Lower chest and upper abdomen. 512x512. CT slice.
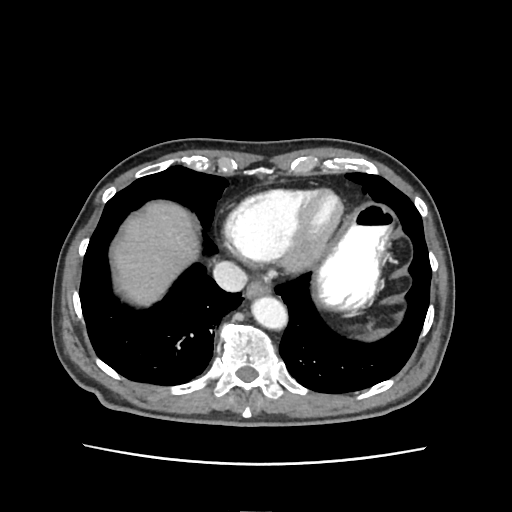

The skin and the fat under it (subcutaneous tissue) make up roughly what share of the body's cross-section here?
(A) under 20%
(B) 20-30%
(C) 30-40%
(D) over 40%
(A) under 20%
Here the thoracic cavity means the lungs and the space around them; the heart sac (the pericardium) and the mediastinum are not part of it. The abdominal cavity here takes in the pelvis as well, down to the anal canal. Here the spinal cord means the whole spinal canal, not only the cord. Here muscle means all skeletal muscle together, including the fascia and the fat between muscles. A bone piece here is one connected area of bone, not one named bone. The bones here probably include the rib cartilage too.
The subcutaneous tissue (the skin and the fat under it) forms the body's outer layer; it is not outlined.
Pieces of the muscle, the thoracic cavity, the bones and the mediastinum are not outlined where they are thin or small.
The muscle is outlined by 237 417; 242 417; 241 412; 246 405; 248 405; 251 408; 252 416; 256 416; 266 413; 281 413; 290 417; 321 417; 329 415; 338 415; 339 414; 358 412; 376 406; 384 405; 404 396; 420 385; 431 371; 440 345; 441 335; 444 329; 444 323; 445 322; 448 284; 447 283; 447 271; 445 265; 444 252; 441 246; 440 239; 437 234; 437 230; 433 220; 432 213; 421 194; 409 183; 383 163; 372 159; 366 155; 352 150; 337 147; 331 147; 330 146; 299 149; 270 157; 259 154; 233 151; 232 150; 188 149; 187 150; 172 152; 163 155; 154 160; 148 161; 133 167; 119 175; 112 182; 105 185; 98 192; 92 203; 92 205; 86 213; 83 221; 68 249; 65 258; 65 263; 62 276; 62 284; 61 285; 61 307; 60 308; 61 311; 60 315; 61 339; 62 340; 62 347; 65 354; 69 360; 75 364; 86 375; 93 378; 110 389; 121 398; 123 398; 139 407; 152 410; 158 410; 173 413; 181 413; 182 414; 220 413; 227 415; 236 415 with a hole at 273 399; 283 386; 302 395; 364 389; 355 397; 362 399; 394 383; 434 316; 429 286; 437 260; 424 239; 424 201; 411 201; 363 158; 313 155; 292 160; 286 175; 262 165; 233 175; 238 164; 225 156; 217 159; 218 172; 208 173; 205 156; 175 157; 138 170; 119 191; 107 188; 99 221; 79 244; 82 276; 72 295; 97 365; 115 379; 164 385; 172 394; 216 379; 216 396; 258 386. The pericardium is outlined by 271 278; 293 278; 309 268; 311 264; 323 253; 329 243; 329 240; 337 229; 337 226; 349 213; 347 199; 338 189; 317 180; 270 180; 267 182; 253 184; 229 199; 222 206; 216 219; 217 228; 215 232; 220 247; 226 253; 243 259. The torso is outlined by 239 427; 317 425; 380 416; 411 403; 434 380; 453 326; 453 262; 431 194; 421 180; 391 154; 365 143; 333 137; 179 138; 150 145; 124 158; 96 183; 85 200; 59 251; 52 286; 52 340; 66 372; 77 385; 113 410; 171 421. The bones appear in 11 outlined pieces: piece 1: 273 399; 283 393; 283 386; 302 395; 310 390; 289 374; 265 332; 252 325; 232 321; 221 324; 216 354; 204 374; 183 384; 164 387; 172 394; 183 394; 203 388; 210 380; 216 379; 216 396; 223 395; 234 386; 246 391; 258 386; inner edge: 247 382; 249 382; 253 379; 254 379; 257 376; 257 375; 258 374; 257 373; 257 372; 253 368; 252 368; 249 366; 244 366; 243 367; 241 367; 239 369; 238 369; 236 372; 236 374; 241 379; 242 379; 244 381; 246 381; piece 2: 293 175; 311 174; 311 172; 313 170; 317 168; 321 168; 322 166; 328 169; 337 171; 360 171; 378 175; 380 174; 380 172; 378 168; 373 163; 363 158; 334 157; 320 160; 316 156; 308 155; 297 157; 291 161; 289 164; 287 174; piece 3: 135 178; 138 178; 148 174; 162 171; 174 163; 181 163; 187 167; 189 167; 198 171; 206 171; 211 165; 211 163; 207 157; 202 155; 191 155; 190 156; 175 157; 174 158; 167 159; 157 163; 148 165; 138 170; 134 174; 134 177; piece 4: 356 399; 362 399; 366 397; 369 397; 372 395; 374 395; 382 391; 384 391; 386 389; 389 388; 394 383; 397 377; 396 378; 392 377; 373 385; 368 389; 365 390; 363 392; 357 395; 355 397; piece 5: 227 174; 232 174; 232 173; 238 168; 238 164; 234 159; 232 158; 229 158; 225 156; 222 156; 217 159; 217 161; 216 162; 216 166; 214 167; 214 168; 215 168; 218 172; 221 172; 222 173; 226 173; piece 6: 419 339; 423 337; 427 333; 433 321; 433 317; 434 316; 434 306; 432 303; 430 303; 428 306; 428 309; 427 310; 427 312; 425 316; 425 319; 424 320; 424 323; 422 327; 422 330; 418 338; piece 7: 119 380; 120 379; 123 379; 124 377; 121 376; 115 370; 114 370; 111 367; 110 367; 107 364; 102 361; 97 356; 95 356; 94 357; 94 360; 95 362; 104 372; 105 372; 108 375; 111 376; 113 378; 115 379; 118 379; piece 8: 247 175; 253 175; 254 174; 271 174; 273 173; 274 171; 274 168; 273 167; 266 167; 262 165; 261 166; 258 166; 257 167; 254 167; 253 168; 249 168; 248 169; 245 169; 243 171; 243 173; piece 9: 84 325; 85 324; 85 322; 82 315; 82 311; 81 310; 81 304; 80 303; 80 300; 79 299; 79 294; 78 293; 78 290; 74 290; 73 291; 73 294; 72 295; 72 299; 73 300; 73 305; 74 306; 74 309; 78 318; piece 10: 423 218; 424 217; 425 217; 427 215; 427 207; 426 206; 426 205; 425 204; 424 201; 419 196; 416 195; 414 197; 414 198; 413 199; 413 202; 414 203; 414 204; 415 205; 416 208; 418 210; 419 213; piece 11: 104 204; 117 191; 117 190; 116 189; 116 187; 115 186; 114 186; 113 185; 112 186; 110 186; 108 188; 107 188; 104 191; 104 192; 103 193; 103 194; 102 195; 102 197; 101 198; 101 201. The thoracic cavity appears in 2 outlined pieces: piece 1: 158 385; 208 369; 213 330; 242 300; 239 292; 222 290; 200 263; 145 310; 122 304; 111 291; 108 244; 127 214; 150 199; 193 210; 204 255; 217 252; 207 231; 228 182; 181 164; 135 179; 105 204; 79 288; 96 354; 121 375; piece 2: 325 393; 366 389; 395 374; 415 347; 429 303; 431 271; 422 219; 407 196; 377 175; 345 176; 373 199; 391 205; 412 241; 413 283; 402 323; 373 343; 348 340; 315 309; 310 273; 275 287; 289 316; 276 345; 278 354; 298 382. The mediastinum is outlined by 277 345; 288 316; 274 287; 291 279; 271 279; 226 254; 214 233; 217 212; 270 179; 323 181; 343 193; 350 212; 367 194; 347 172; 210 173; 229 184; 208 231; 218 252; 207 271; 243 299; 216 326; 216 340; 232 320; 261 328. The spinal cord is outlined by 247 382; 249 382; 253 379; 254 379; 257 376; 257 375; 258 374; 257 373; 257 372; 253 368; 252 368; 249 366; 244 366; 243 367; 241 367; 239 369; 238 369; 236 372; 236 374; 241 379; 242 379; 244 381; 246 381. The abdominal cavity appears in 2 outlined pieces: piece 1: 367 343; 381 339; 395 329; 403 320; 407 308; 405 295; 412 283; 408 267; 413 256; 411 241; 403 231; 393 208; 382 202; 377 202; 369 196; 342 220; 324 253; 304 272; 311 273; 309 282; 310 296; 324 321; 332 329; 348 339; piece 2: 135 309; 145 309; 160 301; 175 280; 192 264; 200 262; 206 267; 206 260; 209 256; 204 256; 202 253; 202 230; 199 221; 193 211; 177 202; 165 199; 156 199; 146 202; 128 214; 120 224; 109 244; 108 262; 112 291; 122 303.